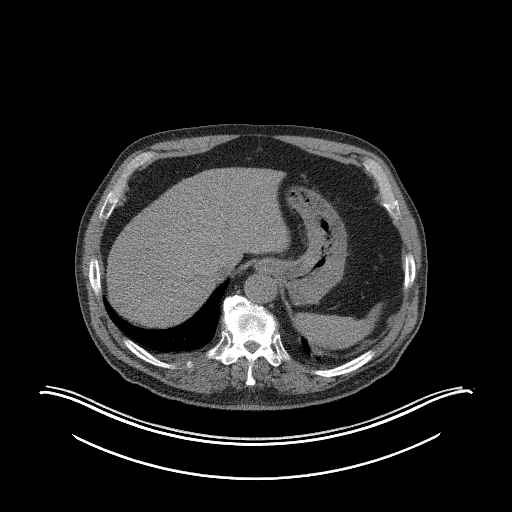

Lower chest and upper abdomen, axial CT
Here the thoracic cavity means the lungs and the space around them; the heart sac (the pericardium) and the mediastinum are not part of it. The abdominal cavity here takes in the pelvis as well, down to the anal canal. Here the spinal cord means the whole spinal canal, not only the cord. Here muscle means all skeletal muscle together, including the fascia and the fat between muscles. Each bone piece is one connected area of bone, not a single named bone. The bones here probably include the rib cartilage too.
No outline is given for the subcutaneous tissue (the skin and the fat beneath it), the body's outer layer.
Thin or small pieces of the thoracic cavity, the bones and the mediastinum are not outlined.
bones 1: 235 294; 263 306; 276 318; 281 340; 287 354; 291 356; 290 360; 283 361; 278 366; 273 366; 262 356; 256 359; 252 367; 255 384; 251 386; 245 384; 248 361; 243 356; 226 365; 218 360; 207 358; 204 354; 220 338; 223 299, around a hole outlined by 248 341; 253 341; 254 342; 255 342; 256 343; 257 343; 259 345; 259 346; 253 352; 251 352; 250 351; 249 351; 245 347; 245 346; 244 345; 244 344; 246 342; 247 342
bones 2: 150 150; 155 152; 155 155; 146 163; 136 169; 135 171; 131 174; 128 178; 127 183; 123 189; 123 191; 109 217; 105 220; 104 219; 100 220; 98 216; 104 200; 109 191; 112 189; 114 184; 120 176; 126 165; 138 154
bones 3: 364 157; 369 157; 376 161; 381 166; 386 174; 389 183; 391 186; 391 189; 393 192; 393 194; 399 204; 399 208; 400 209; 400 216; 399 218; 393 219; 386 208; 382 204; 382 195; 380 192; 380 189; 377 182; 362 165; 362 159
bones 4: 369 349; 373 349; 375 351; 375 354; 373 357; 366 363; 349 372; 347 372; 343 374; 340 374; 339 375; 336 375; 335 376; 329 376; 328 377; 313 374; 311 372; 315 369; 328 369; 329 368; 332 368; 333 367; 341 365; 357 357
bones 5: 124 337; 127 337; 129 338; 138 345; 151 353; 158 359; 168 363; 174 364; 176 367; 174 369; 171 369; 170 368; 164 368; 160 366; 154 365; 149 362; 147 362; 143 360; 133 353; 125 345; 123 342; 123 338
bones 6: 92 256; 94 256; 96 258; 97 258; 97 259; 98 260; 98 264; 99 265; 99 272; 100 273; 100 284; 101 285; 101 294; 100 294; 97 296; 94 293; 94 291; 93 290; 93 289; 90 284; 90 282; 89 281; 89 261
bones 7: 408 252; 410 252; 413 255; 413 257; 414 258; 414 262; 415 263; 415 277; 414 278; 414 280; 413 281; 413 283; 412 284; 412 285; 405 291; 404 291; 404 290; 403 289; 403 284; 404 283; 404 257; 405 256; 405 254
mediastinum: 251 265; 265 265; 274 269; 278 274; 282 290; 282 304; 289 313; 299 336; 302 355; 301 359; 297 359; 288 354; 282 340; 282 335; 277 318; 263 305; 253 302; 244 295; 237 293; 227 295; 223 298; 229 283; 241 274; 247 266
abdominal cavity: 245 136; 272 138; 363 167; 376 182; 381 204; 401 238; 403 294; 385 333; 365 351; 341 362; 312 356; 283 304; 279 274; 265 264; 247 265; 218 285; 191 317; 165 329; 133 325; 102 295; 101 237; 132 174; 156 160; 203 153
torso: 222 123; 295 124; 342 131; 365 139; 390 159; 418 211; 427 247; 427 293; 423 319; 395 366; 354 394; 322 404; 281 410; 227 410; 187 404; 126 381; 107 363; 86 328; 74 275; 77 232; 87 203; 116 157; 131 142; 148 134
thoracic cavity 1: 226 280; 229 282; 221 299; 221 329; 219 332; 219 338; 206 350; 200 349; 188 352; 172 353; 169 355; 154 355; 124 334; 111 319; 103 301; 104 297; 115 313; 133 326; 146 330; 165 330; 178 326; 191 318; 204 305; 216 288
thoracic cavity 2: 303 339; 306 341; 309 347; 310 355; 312 357; 315 356; 316 357; 317 356; 321 358; 322 360; 331 361; 335 363; 341 363; 344 360; 350 358; 360 352; 363 352; 341 364; 326 368; 311 361; 302 360; 303 355; 301 347; 301 340
spinal cord: 248 341; 253 341; 254 342; 255 342; 256 343; 257 343; 259 345; 259 346; 253 352; 251 352; 250 351; 249 351; 245 347; 245 346; 244 345; 244 344; 246 342; 247 342
muscle: 246 133; 262 133; 263 134; 269 134; 270 135; 297 135; 298 136; 309 136; 316 138; 322 138; 332 141; 354 145; 376 154; 383 160; 390 170; 403 196; 403 198; 412 216; 414 218; 416 224; 418 236; 421 245; 421 267; 418 278; 419 292; 418 293; 417 319; 413 328; 402 342; 385 359; 375 365; 359 373; 355 374; 345 381; 340 382; 336 385; 324 390; 309 392; 308 393; 299 393; 298 394; 280 393; 273 387; 265 387; 262 389; 259 389; 257 387; 254 388; 245 387; 239 390; 236 390; 232 387; 228 387; 219 392; 213 392; 209 394; 185 390; 171 385; 168 385; 153 376; 151 376; 132 366; 130 366; 125 362; 118 359; 108 350; 107 347; 97 336; 91 324; 87 290; 85 286; 84 278; 82 276; 82 269; 81 268; 82 256; 83 255; 84 235; 94 209; 96 207; 113 174; 118 167; 134 151; 139 149; 142 149; 146 146; 149 146; 161 141; 172 140; 178 138; 188 138; 189 137; 204 136; 205 135; 245 134 with holes at 245 136; 272 138; 362 168; 369 157; 387 176; 400 209; 393 223; 403 255; 413 255; 415 277; 371 346; 375 354; 354 370; 320 376; 311 372; 326 368; 311 361; 292 355; 273 366; 261 356; 252 367; 255 384; 248 386; 243 356; 226 365; 200 349; 155 354; 176 366; 157 366; 125 345; 103 296; 94 293; 89 261; 100 261; 106 223; 98 216; 126 165; 145 151; 155 152; 145 166 and at 187 360; 188 360; 189 360; 190 360; 191 361; 192 362; 192 363; 192 364; 192 365; 192 366; 191 366; 190 367; 189 367; 188 367; 187 367; 186 366; 185 365; 186 364; 186 363; 186 362; 186 361